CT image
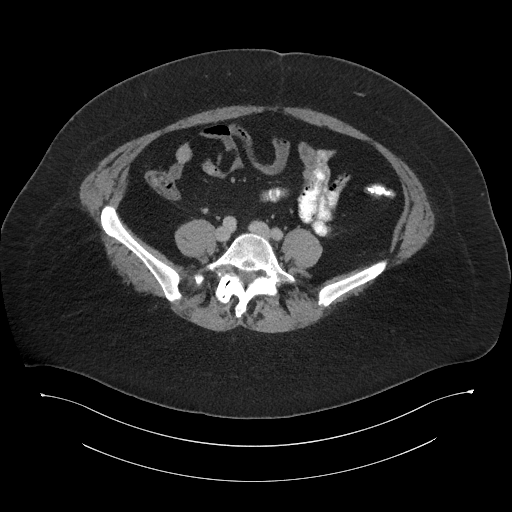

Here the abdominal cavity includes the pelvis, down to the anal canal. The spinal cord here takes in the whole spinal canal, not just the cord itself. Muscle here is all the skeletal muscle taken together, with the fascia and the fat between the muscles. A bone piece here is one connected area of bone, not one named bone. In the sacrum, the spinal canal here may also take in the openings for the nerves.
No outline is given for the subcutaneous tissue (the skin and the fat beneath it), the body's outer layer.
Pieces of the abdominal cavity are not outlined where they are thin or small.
{"spinal_cord":[[[231,267],[233,267],[235,269],[239,271],[245,271],[246,272],[255,272],[256,273],[260,271],[263,271],[264,273],[262,276],[256,276],[249,283],[245,285],[240,278],[239,278],[235,274],[233,274],[233,273],[231,272],[231,270],[230,269]]],"bones":[{"outer":[[244,232],[252,232],[265,238],[271,244],[280,266],[296,280],[294,283],[278,284],[275,295],[256,295],[247,303],[246,310],[238,318],[234,309],[238,298],[232,295],[226,303],[217,299],[214,292],[219,278],[207,269],[206,265],[216,260],[234,238]],"hole":[[231,267],[233,267],[235,269],[239,271],[245,271],[246,272],[255,272],[256,273],[260,271],[263,271],[264,273],[262,276],[256,276],[249,283],[245,285],[240,278],[239,278],[235,274],[233,274],[233,273],[231,272],[231,270],[230,269]]},[[106,204],[110,204],[116,209],[119,218],[125,228],[146,250],[178,272],[180,275],[178,288],[182,295],[180,299],[173,302],[169,301],[165,297],[161,286],[143,262],[123,244],[113,237],[109,236],[103,230],[100,221],[100,213],[101,209]],[[381,259],[387,259],[387,265],[385,269],[375,278],[371,280],[369,280],[367,282],[361,285],[359,285],[353,289],[342,294],[327,306],[319,305],[317,303],[317,300],[318,299],[318,291],[322,286],[326,284],[337,281],[353,273],[355,273]],[[195,273],[200,273],[201,274],[202,274],[204,276],[204,280],[202,282],[202,283],[200,285],[198,285],[195,282],[195,281],[194,280],[194,279],[193,278],[193,275]]],"torso":[[[243,47],[332,55],[374,69],[418,96],[466,143],[484,176],[511,272],[497,340],[485,355],[430,370],[345,405],[261,419],[176,410],[125,394],[75,372],[47,365],[26,366],[4,301],[1,228],[11,204],[55,135],[87,101],[136,73],[187,55]]],"abdominal_cavity":[[[264,111],[367,142],[387,160],[404,204],[379,257],[315,281],[308,269],[324,249],[297,226],[283,239],[280,262],[252,231],[208,262],[218,249],[216,230],[193,218],[173,233],[178,250],[201,265],[184,265],[124,220],[118,209],[130,164],[152,141]]],"muscle":[{"outer":[[246,104],[251,104],[252,105],[276,105],[278,104],[282,106],[303,107],[304,108],[305,107],[331,115],[360,130],[400,157],[409,166],[416,174],[417,177],[421,182],[435,215],[435,225],[433,232],[429,237],[427,242],[421,249],[417,251],[404,262],[399,265],[397,265],[382,275],[359,295],[355,296],[354,295],[347,300],[338,303],[331,312],[315,323],[303,328],[299,328],[286,332],[266,333],[265,332],[259,332],[254,330],[250,330],[242,326],[238,326],[231,330],[227,330],[226,331],[214,331],[210,330],[181,318],[170,309],[162,305],[160,303],[161,300],[158,297],[153,296],[150,294],[145,294],[142,292],[138,292],[134,290],[131,285],[123,283],[122,282],[122,278],[116,273],[116,271],[110,265],[109,260],[107,258],[104,251],[104,247],[100,241],[98,235],[98,229],[93,220],[89,216],[88,213],[81,207],[78,195],[79,186],[86,175],[97,165],[100,160],[123,143],[134,138],[139,137],[146,133],[164,127],[181,118],[204,110],[212,109],[217,107],[222,107],[223,106],[245,105]],"holes":[[[264,111],[367,142],[398,176],[404,204],[386,251],[322,281],[308,271],[320,240],[288,231],[279,264],[295,282],[256,295],[238,318],[238,298],[220,302],[206,268],[218,249],[207,219],[174,231],[201,265],[184,265],[118,209],[130,164],[152,141]],[[106,204],[110,204],[116,209],[119,218],[125,228],[146,250],[178,272],[180,275],[178,288],[182,295],[180,299],[173,302],[169,301],[165,297],[161,286],[143,262],[123,244],[113,237],[109,236],[103,230],[100,221],[100,213],[101,209]],[[381,259],[387,259],[387,265],[385,269],[375,278],[371,280],[369,280],[367,282],[361,285],[359,285],[353,289],[342,294],[327,306],[319,305],[317,303],[317,300],[318,299],[318,291],[322,286],[326,284],[337,281],[353,273],[355,273]],[[195,273],[200,273],[201,274],[202,274],[204,276],[204,280],[202,282],[202,283],[200,285],[198,285],[195,282],[195,281],[194,280],[194,279],[193,278],[193,275]]]}]}